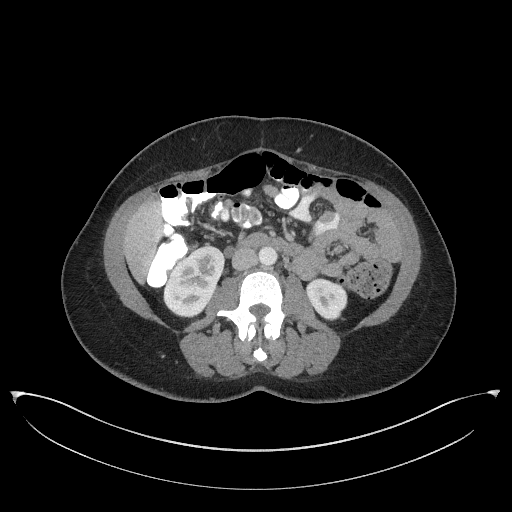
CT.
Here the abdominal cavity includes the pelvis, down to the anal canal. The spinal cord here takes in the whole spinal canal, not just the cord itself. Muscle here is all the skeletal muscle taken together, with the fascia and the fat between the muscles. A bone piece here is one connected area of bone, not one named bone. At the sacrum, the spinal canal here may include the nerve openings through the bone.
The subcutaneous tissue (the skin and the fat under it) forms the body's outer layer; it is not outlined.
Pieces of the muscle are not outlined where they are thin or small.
The bones appear in 2 outlined pieces: piece 1: 259,341 262,336 267,339 277,338 286,315 281,308 282,290 280,283 274,275 264,271 247,274 240,285 238,305 234,309 220,309 216,313 218,316 225,316 237,326 237,334 241,340 246,338 250,340 257,336 with a hole at 258,319 261,319 261,318 265,314 266,314 269,311 269,307 268,307 267,306 266,306 265,305 264,305 263,304 256,304 255,305 253,305 252,306 251,306 250,307 250,308 249,309 250,310 250,311; piece 2: 258,361 262,361 263,360 264,360 267,357 267,355 266,354 266,353 263,350 263,349 261,347 261,346 259,346 257,348 256,348 254,350 254,351 253,352 253,356. The torso is outlined by 198,403 228,401 254,391 307,403 348,401 403,383 432,358 455,309 454,268 442,235 418,190 380,149 346,130 310,119 214,116 185,124 153,140 109,182 63,262 61,295 68,322 86,352 120,379 169,399. The abdominal cavity is outlined by 337,330 387,297 400,263 390,210 352,179 307,172 271,151 248,152 212,176 164,185 128,218 122,236 128,272 173,327 204,316 224,277 232,275 239,288 247,273 264,270 283,293 285,277 296,275 317,317. The spinal cord is outlined by 258,319 261,319 261,318 265,314 266,314 269,311 269,307 268,307 267,306 266,306 265,305 264,305 263,304 256,304 255,305 253,305 252,306 251,306 250,307 250,308 249,309 250,310 250,311. The muscle is outlined by 216,381 237,379 255,371 294,381 313,380 328,369 345,337 363,327 381,324 396,314 410,293 422,260 417,227 397,196 361,176 270,148 257,147 238,154 267,149 307,171 359,182 391,210 401,250 400,269 388,297 343,331 316,317 301,282 290,274 283,294 282,308 287,315 280,336 275,340 262,337 260,342 257,337 241,341 236,326 215,314 220,308 237,305 239,289 232,276 222,280 204,317 175,329 154,313 137,289 127,272 121,249 127,218 151,193 164,184 212,175 233,158 156,181 123,201 114,211 103,240 107,278 126,307 174,336 196,374 with a hole at 258,361 262,361 263,360 264,360 267,357 267,355 266,354 266,353 263,350 263,349 261,347 261,346 259,346 257,348 256,348 254,350 254,351 253,352 253,356.